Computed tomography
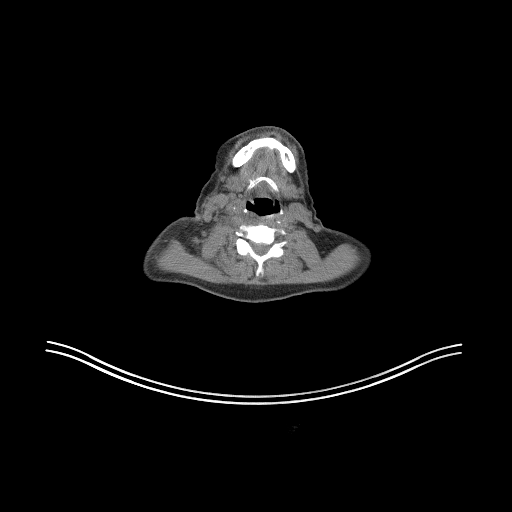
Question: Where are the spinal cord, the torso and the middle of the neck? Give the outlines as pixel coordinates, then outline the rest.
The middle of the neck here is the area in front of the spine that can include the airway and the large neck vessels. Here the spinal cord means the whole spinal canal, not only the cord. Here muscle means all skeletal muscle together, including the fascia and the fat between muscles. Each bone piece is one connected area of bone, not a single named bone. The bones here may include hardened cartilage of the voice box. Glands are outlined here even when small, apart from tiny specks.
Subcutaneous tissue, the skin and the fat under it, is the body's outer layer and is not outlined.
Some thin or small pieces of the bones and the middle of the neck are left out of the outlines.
Answer: The spinal cord is outlined by (251, 242) (252, 242) (253, 243) (256, 243) (257, 244) (267, 244) (268, 245) (270, 245) (270, 246) (269, 247) (269, 248) (267, 250) (267, 251) (265, 253) (264, 253) (263, 254) (258, 254) (257, 253) (256, 253) (254, 251) (254, 250) (252, 248) (252, 246) (251, 245). The torso appears in 2 outlined pieces: piece 1: (324, 225) (327, 227) (333, 228) (337, 230) (341, 230) (351, 234) (367, 244) (373, 253) (373, 261) (371, 267) (367, 273) (358, 281) (342, 290) (333, 292) (305, 293) (301, 295) (297, 295) (280, 300) (298, 279) (302, 272) (308, 265) (313, 255) (316, 252) (323, 236); piece 2: (184, 215) (188, 215) (189, 216) (191, 260) (194, 268) (194, 274) (195, 275) (196, 284) (200, 289) (190, 285) (180, 284) (179, 283) (167, 283) (166, 282) (155, 282) (151, 281) (147, 279) (143, 275) (141, 270) (141, 263) (143, 255) (152, 240) (167, 224) (176, 218). The middle of the neck is outlined by (253, 197) (271, 197) (275, 199) (279, 203) (282, 209) (281, 209) (279, 212) (279, 213) (281, 214) (269, 218) (260, 218) (259, 217) (255, 217) (250, 214) (246, 213) (245, 212) (247, 211) (247, 209) (245, 208) (243, 210) (243, 205) (247, 199) with a hole at (258, 198) (268, 198) (270, 200) (271, 200) (271, 201) (273, 203) (273, 204) (274, 205) (275, 205) (275, 208) (274, 207) (273, 208) (273, 209) (271, 209) (269, 211) (256, 211) (256, 210) (255, 209) (252, 209) (249, 205) (250, 204) (255, 204) (256, 203) (256, 200). The head and neck is outlined by (259, 125) (282, 127) (301, 144) (307, 161) (309, 189) (317, 216) (323, 224) (323, 232) (318, 246) (307, 265) (279, 300) (250, 303) (226, 299) (201, 290) (197, 284) (192, 260) (190, 216) (194, 212) (195, 203) (202, 186) (214, 169) (214, 157) (218, 146) (226, 139) with a hole at (258, 198) (268, 198) (270, 200) (271, 200) (271, 201) (273, 203) (273, 204) (274, 205) (275, 205) (275, 208) (274, 207) (273, 208) (273, 209) (271, 209) (269, 211) (256, 211) (256, 210) (255, 209) (252, 209) (249, 205) (250, 204) (255, 204) (256, 203) (256, 200). The submandibular glands appear in 2 outlined pieces: piece 1: (230, 176) (235, 176) (239, 178) (241, 182) (241, 185) (242, 186) (242, 188) (240, 192) (237, 193) (235, 192) (234, 190) (232, 191) (228, 189) (226, 187) (225, 187) (225, 184) (226, 183) (226, 179); piece 2: (290, 184) (291, 184) (292, 185) (293, 185) (294, 186) (295, 186) (295, 187) (296, 188) (297, 188) (297, 190) (298, 191) (298, 193) (297, 194) (297, 195) (296, 196) (296, 197) (285, 197) (285, 196) (283, 194) (283, 193) (282, 192) (282, 189) (285, 186) (287, 186). The muscle is outlined by (266, 130) (274, 130) (279, 132) (295, 146) (300, 161) (300, 171) (303, 182) (305, 202) (311, 212) (313, 222) (328, 237) (339, 242) (351, 242) (356, 245) (365, 253) (365, 259) (349, 273) (330, 281) (315, 283) (276, 284) (265, 286) (213, 283) (188, 275) (165, 272) (156, 268) (151, 259) (152, 255) (157, 252) (171, 237) (183, 233) (196, 223) (196, 220) (202, 210) (202, 202) (213, 188) (221, 170) (224, 157) (228, 150) (238, 139) (251, 133) with holes at (258, 223) (263, 223) (271, 227) (282, 228) (286, 233) (280, 238) (287, 242) (283, 246) (283, 253) (281, 256) (270, 257) (264, 262) (263, 276) (257, 276) (255, 274) (257, 268) (256, 262) (248, 254) (239, 254) (237, 252) (235, 244) (237, 238) (235, 232) (240, 225) and at (260, 137) (274, 137) (288, 147) (293, 154) (296, 165) (296, 168) (292, 173) (290, 173) (284, 167) (280, 159) (278, 151) (276, 149) (271, 149) (265, 146) (256, 149) (252, 156) (240, 166) (234, 167) (232, 165) (231, 160) (236, 152) (249, 141) (255, 138) (259, 138) and at (253, 197) (271, 197) (275, 199) (279, 203) (282, 209) (282, 213) (279, 215) (277, 215) (273, 217) (270, 217) (269, 218) (260, 218) (259, 217) (255, 217) (250, 214) (248, 214) (246, 213) (243, 210) (243, 205) (245, 201) (247, 199) (249, 198) (252, 198) and at (260, 176) (264, 176) (265, 177) (270, 178) (273, 181) (274, 181) (278, 188) (278, 191) (277, 192) (275, 192) (273, 191) (270, 185) (265, 180) (261, 180) (259, 182) (258, 182) (250, 190) (248, 191) (247, 190) (247, 187) (249, 184) (249, 180) (250, 179) (254, 179) and at (230, 176) (235, 176) (239, 178) (241, 182) (241, 185) (242, 186) (242, 188) (240, 192) (237, 193) (235, 192) (234, 190) (232, 191) (228, 189) (226, 187) (225, 187) (225, 184) (226, 183) (226, 179) and at (290, 184) (291, 184) (292, 185) (293, 185) (294, 186) (295, 186) (295, 187) (296, 188) (297, 188) (297, 190) (298, 191) (298, 193) (297, 194) (297, 195) (296, 196) (296, 197) (285, 197) (285, 196) (283, 194) (283, 193) (282, 192) (282, 189) (285, 186) (287, 186). The bones appear in 3 outlined pieces: piece 1: (258, 223) (263, 223) (271, 227) (282, 228) (286, 233) (280, 238) (287, 242) (283, 246) (283, 253) (281, 256) (270, 257) (264, 262) (263, 276) (257, 276) (255, 274) (257, 268) (256, 262) (248, 254) (239, 254) (237, 252) (235, 244) (237, 238) (235, 232) (240, 225) with a hole at (251, 242) (252, 242) (253, 243) (256, 243) (257, 244) (267, 244) (268, 245) (270, 245) (270, 246) (269, 247) (269, 248) (267, 250) (267, 251) (265, 253) (264, 253) (263, 254) (258, 254) (257, 253) (256, 253) (254, 251) (254, 250) (252, 248) (252, 246) (251, 245); piece 2: (260, 137) (274, 137) (288, 147) (293, 154) (296, 165) (296, 168) (292, 173) (290, 173) (284, 167) (280, 159) (278, 151) (276, 149) (271, 149) (265, 146) (256, 149) (252, 156) (240, 166) (234, 167) (232, 165) (231, 160) (236, 152) (249, 141) (255, 138) (259, 138); piece 3: (260, 176) (264, 176) (265, 177) (270, 178) (273, 181) (274, 181) (278, 188) (278, 191) (277, 192) (275, 192) (273, 191) (270, 185) (265, 180) (261, 180) (259, 182) (258, 182) (250, 190) (248, 191) (247, 190) (247, 187) (249, 184) (249, 180) (250, 179) (254, 179).